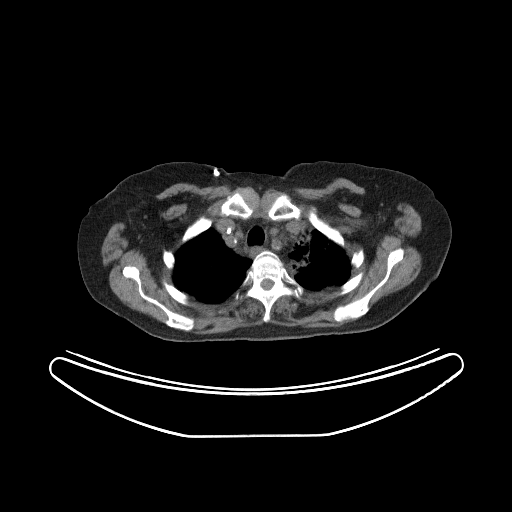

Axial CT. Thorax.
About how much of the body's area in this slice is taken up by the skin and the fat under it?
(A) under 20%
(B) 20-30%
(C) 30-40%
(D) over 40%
(C) 30-40%
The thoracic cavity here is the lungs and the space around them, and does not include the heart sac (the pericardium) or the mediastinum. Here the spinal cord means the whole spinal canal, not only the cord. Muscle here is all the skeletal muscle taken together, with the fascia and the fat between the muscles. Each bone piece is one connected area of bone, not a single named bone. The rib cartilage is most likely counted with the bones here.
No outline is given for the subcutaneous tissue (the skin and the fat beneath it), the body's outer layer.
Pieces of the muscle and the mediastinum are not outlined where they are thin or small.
{"thoracic_cavity":[[[212,226],[220,235],[225,245],[232,251],[240,256],[252,259],[239,287],[226,299],[218,303],[206,303],[197,300],[194,297],[179,289],[174,284],[173,279],[173,270],[175,266],[175,255],[174,254],[176,251],[182,244],[184,244],[196,237]],[[307,226],[313,227],[330,241],[343,248],[345,253],[350,258],[349,259],[349,262],[351,266],[350,275],[349,277],[339,286],[331,286],[320,290],[306,289],[301,285],[287,270],[284,263],[284,258],[287,254],[293,249],[296,240],[303,231],[303,229]]],"spinal_cord":[[[266,279],[268,279],[269,280],[271,280],[273,282],[273,284],[272,285],[272,286],[269,289],[265,289],[264,288],[263,288],[261,286],[261,283],[262,282],[262,281],[263,280],[265,280]]],"bones":[{"outer":[[263,250],[269,250],[277,254],[283,262],[288,273],[304,288],[304,292],[299,298],[295,298],[289,295],[280,296],[273,303],[270,309],[270,318],[268,322],[263,321],[265,308],[259,300],[245,296],[236,299],[234,296],[234,293],[244,280],[253,258]],"hole":[[266,279],[268,279],[269,280],[271,280],[273,282],[273,284],[272,285],[272,286],[269,289],[265,289],[264,288],[263,288],[261,286],[261,283],[262,282],[262,281],[263,280],[265,280]]},[[397,248],[403,249],[403,257],[391,268],[387,280],[376,290],[370,298],[368,302],[368,311],[362,316],[355,319],[336,321],[333,317],[333,312],[335,308],[339,305],[344,305],[362,297],[372,289],[384,277],[386,273],[387,258],[389,253]],[[127,265],[135,266],[139,270],[139,277],[141,281],[142,290],[145,294],[156,299],[168,309],[193,318],[193,328],[188,331],[185,331],[168,326],[165,323],[167,319],[166,313],[160,307],[145,300],[140,295],[138,285],[134,279],[123,275],[122,270]],[[235,192],[243,192],[244,193],[251,195],[254,198],[254,209],[253,210],[252,214],[248,218],[244,219],[243,218],[241,218],[237,216],[234,216],[233,215],[228,215],[226,216],[225,215],[222,215],[220,214],[220,206],[226,200],[228,196],[232,195]],[[281,194],[286,194],[290,199],[291,202],[293,204],[296,205],[300,209],[301,213],[300,214],[300,217],[298,219],[290,218],[289,219],[282,219],[281,220],[273,220],[268,216],[267,214],[267,210],[268,209],[268,206],[269,205],[270,200],[274,197]],[[310,210],[313,210],[323,221],[324,221],[332,227],[337,229],[339,231],[339,232],[342,235],[344,239],[344,246],[343,247],[338,245],[333,241],[330,240],[311,224],[311,223],[308,219],[308,212]],[[202,215],[203,216],[205,216],[211,219],[212,221],[211,226],[210,226],[207,229],[201,232],[196,236],[191,238],[189,240],[186,241],[184,243],[182,243],[181,241],[181,239],[182,238],[182,236],[186,228],[196,219],[197,219],[200,216]],[[163,280],[165,280],[168,283],[170,284],[173,284],[179,290],[187,294],[189,296],[189,304],[188,305],[185,305],[175,300],[168,293],[168,292],[163,286],[162,284],[162,281]],[[360,272],[362,272],[363,274],[362,275],[362,277],[358,285],[355,288],[349,291],[347,293],[345,294],[343,294],[342,295],[338,295],[337,293],[340,290],[340,286],[342,284],[343,284],[350,277],[352,277]],[[360,248],[362,248],[363,249],[363,251],[364,252],[364,258],[363,259],[363,261],[362,262],[362,263],[357,268],[355,268],[354,267],[353,267],[351,265],[351,263],[350,262],[350,259],[351,258],[351,256],[352,255],[352,254],[355,251],[358,250]],[[163,249],[168,249],[169,250],[170,250],[173,253],[173,254],[174,255],[174,266],[173,267],[173,269],[172,270],[170,270],[165,265],[165,264],[164,263],[164,262],[163,261],[163,259],[162,258],[162,251],[163,250]]],"torso":[[[317,160],[355,162],[410,174],[427,184],[447,210],[452,236],[439,275],[411,304],[387,323],[359,333],[299,339],[175,342],[142,331],[100,305],[86,289],[77,257],[80,222],[91,204],[128,175],[171,161],[205,163],[229,172],[281,175],[294,164]]],"muscle":[[[338,177],[365,189],[361,210],[374,238],[394,220],[399,203],[411,205],[422,222],[422,268],[416,278],[370,309],[371,298],[404,257],[402,247],[391,250],[383,277],[362,296],[334,308],[336,322],[353,320],[326,327],[269,323],[280,297],[299,299],[305,289],[331,287],[339,287],[336,294],[342,296],[355,289],[364,274],[350,276],[352,267],[363,263],[364,249],[360,247],[350,257],[340,231],[313,209],[307,212],[311,225],[298,220],[302,211],[286,193],[269,200],[266,218],[251,216],[255,198],[235,191],[219,206],[224,217],[212,225],[211,218],[200,215],[185,228],[174,253],[168,248],[161,251],[173,280],[163,279],[161,284],[175,301],[188,306],[190,296],[206,304],[221,303],[233,294],[236,300],[252,298],[263,305],[264,323],[209,334],[189,331],[194,318],[145,293],[140,270],[131,264],[122,268],[122,275],[135,281],[145,301],[165,313],[164,323],[130,308],[108,286],[101,247],[109,228],[123,222],[134,244],[150,256],[164,233],[163,206],[155,195],[175,183],[260,190],[322,188]]],"mediastinum":[[[225,217],[240,218],[244,220],[250,217],[262,217],[273,221],[293,219],[309,225],[302,229],[302,231],[295,240],[292,249],[286,254],[283,258],[283,261],[277,253],[269,249],[263,249],[251,258],[240,255],[226,245],[221,235],[214,227],[214,225]]]}